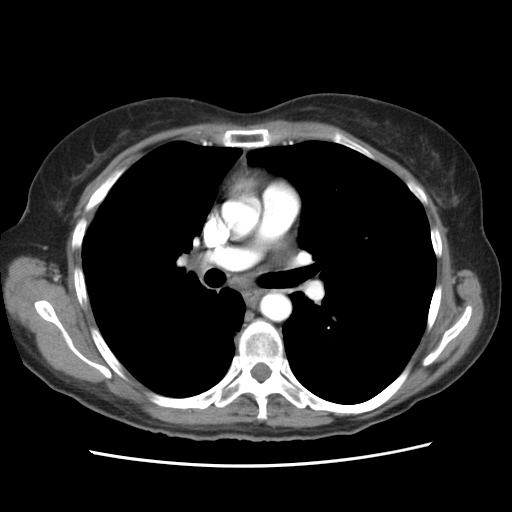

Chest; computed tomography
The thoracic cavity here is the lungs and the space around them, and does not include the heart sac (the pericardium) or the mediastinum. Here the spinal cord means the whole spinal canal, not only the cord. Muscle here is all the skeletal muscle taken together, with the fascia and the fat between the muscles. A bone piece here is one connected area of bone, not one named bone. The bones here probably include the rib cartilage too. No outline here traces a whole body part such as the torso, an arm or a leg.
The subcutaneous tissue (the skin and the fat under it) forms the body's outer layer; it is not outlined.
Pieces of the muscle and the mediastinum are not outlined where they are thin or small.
{"muscle":[{"outer":[[277,119],[288,121],[310,121],[311,120],[324,122],[337,126],[361,139],[398,162],[406,168],[421,183],[436,206],[437,212],[449,232],[456,266],[458,268],[469,269],[473,271],[477,275],[481,285],[481,296],[484,305],[484,314],[478,334],[469,347],[468,351],[449,370],[431,384],[403,401],[380,413],[364,419],[349,419],[345,417],[338,418],[335,421],[327,424],[299,428],[289,426],[272,426],[263,422],[260,423],[253,422],[227,423],[222,425],[201,426],[197,428],[182,427],[179,425],[175,425],[156,418],[153,418],[125,401],[120,400],[97,389],[94,389],[67,376],[55,373],[51,368],[48,367],[38,353],[32,340],[28,336],[26,331],[12,318],[11,314],[9,312],[5,293],[5,278],[7,275],[8,263],[17,256],[30,255],[37,257],[44,261],[48,261],[55,264],[57,266],[58,272],[64,279],[67,276],[66,244],[72,228],[71,224],[73,217],[72,214],[83,190],[119,153],[133,144],[155,133],[175,127],[220,121],[232,122],[243,126],[247,126],[267,120],[276,120]],"holes":[[[258,128],[338,131],[403,182],[414,181],[426,195],[423,208],[429,227],[436,227],[441,238],[441,255],[435,258],[440,304],[430,330],[424,329],[408,361],[412,364],[407,377],[374,409],[347,414],[299,408],[272,393],[267,397],[267,417],[260,420],[258,404],[249,392],[223,407],[160,406],[127,369],[127,380],[112,370],[108,378],[82,360],[59,328],[35,309],[35,301],[48,301],[74,346],[89,360],[108,367],[91,335],[90,328],[97,326],[90,304],[80,305],[74,285],[74,269],[82,266],[82,255],[72,248],[73,231],[81,217],[89,225],[96,208],[86,212],[84,208],[91,195],[116,170],[129,168],[160,145],[178,140],[200,143],[229,129]],[[468,305],[470,305],[472,309],[471,310],[471,315],[467,324],[454,338],[450,340],[447,343],[447,344],[444,347],[438,356],[431,363],[426,366],[424,366],[422,363],[423,359],[438,345],[444,332],[451,326],[452,326],[459,319],[463,313],[466,306]]]}],"mediastinum":[[[241,148],[253,149],[246,154],[250,166],[288,180],[296,189],[300,197],[301,201],[301,209],[300,210],[300,211],[300,221],[296,238],[297,245],[285,279],[292,311],[281,333],[261,318],[241,329],[242,296],[211,265],[200,248],[201,232],[201,246],[209,261],[213,265],[235,275],[277,268],[290,259],[296,228],[299,221],[300,209],[301,208],[301,202],[300,201],[300,198],[299,197],[296,190],[295,189],[285,179],[245,167],[231,173],[230,174],[224,180],[216,199],[223,178],[242,153]]],"bones":[{"outer":[[256,319],[281,334],[297,380],[334,403],[364,402],[409,363],[411,368],[388,400],[356,414],[299,408],[279,393],[267,397],[264,420],[257,418],[258,404],[249,392],[223,407],[160,406],[148,398],[148,391],[186,398],[218,383],[237,352],[238,333]],"hole":[[258,363],[263,363],[264,364],[265,364],[270,369],[270,374],[269,375],[269,376],[267,378],[266,378],[264,380],[263,380],[262,381],[259,381],[258,380],[257,380],[254,377],[253,377],[251,374],[251,370],[253,368],[253,367],[256,364],[257,364]]},[[258,128],[266,128],[271,132],[277,128],[297,129],[304,131],[338,131],[367,149],[375,157],[375,160],[343,144],[330,140],[311,137],[297,137],[289,141],[282,140],[276,144],[256,148],[218,145],[211,141],[214,134],[216,133],[224,132],[229,129]],[[42,299],[51,304],[74,346],[89,360],[106,367],[109,366],[92,338],[90,328],[96,327],[109,349],[124,367],[128,379],[123,379],[112,370],[111,377],[108,378],[98,369],[76,355],[66,343],[59,328],[54,323],[44,319],[36,311],[34,302]],[[468,305],[470,305],[472,309],[471,310],[471,315],[467,324],[454,338],[450,340],[447,343],[447,344],[444,347],[438,356],[431,363],[426,366],[424,366],[422,363],[423,359],[438,345],[444,332],[451,326],[452,326],[459,319],[463,313],[466,306]],[[123,167],[126,167],[126,169],[112,185],[112,186],[109,189],[106,195],[101,201],[101,202],[96,207],[94,207],[86,212],[84,211],[84,208],[86,204],[88,202],[91,195],[94,192],[94,191],[112,173],[113,173],[116,170],[118,170]],[[76,266],[79,266],[81,267],[83,272],[83,275],[84,276],[84,282],[85,283],[86,292],[88,297],[88,304],[86,305],[84,308],[83,308],[79,303],[79,301],[77,298],[76,291],[75,290],[75,286],[74,285],[74,269]],[[436,284],[440,284],[441,285],[441,299],[440,300],[439,308],[438,309],[436,317],[434,320],[434,322],[430,330],[429,331],[427,331],[426,330],[427,316],[428,315],[428,312],[429,311],[429,307],[430,306],[432,295],[433,294],[433,292],[434,291]],[[81,217],[84,217],[86,219],[87,221],[87,226],[85,230],[85,233],[83,236],[82,244],[81,245],[81,249],[78,249],[77,248],[73,249],[71,245],[72,237],[73,236],[73,231],[74,230],[74,228],[78,220]],[[407,179],[410,179],[414,181],[424,191],[426,195],[426,197],[427,198],[427,204],[426,205],[423,205],[423,204],[418,199],[418,198],[416,197],[416,196],[414,195],[414,194],[409,189],[409,188],[405,183],[405,181]],[[431,227],[436,227],[438,229],[439,231],[439,233],[440,234],[440,237],[441,238],[441,255],[440,257],[436,257],[435,255],[435,253],[434,252],[434,250],[433,249],[433,246],[432,245],[432,242],[431,241],[431,233],[430,232],[430,228]]],"spinal_cord":[[[258,363],[263,363],[264,364],[265,364],[270,369],[270,374],[269,375],[269,376],[267,378],[266,378],[264,380],[263,380],[262,381],[259,381],[258,380],[257,380],[254,377],[253,377],[251,374],[251,370],[253,368],[253,367],[256,364],[257,364]]],"thoracic_cavity":[[[307,139],[343,145],[377,162],[404,182],[423,206],[435,256],[435,285],[425,328],[414,351],[389,384],[357,403],[338,403],[318,396],[304,386],[291,369],[282,328],[293,311],[286,279],[298,245],[302,201],[288,179],[247,161],[247,154],[254,149]],[[178,140],[210,141],[218,146],[241,149],[222,178],[202,223],[199,248],[210,265],[241,296],[245,306],[243,321],[235,337],[236,352],[225,374],[208,389],[186,397],[152,391],[128,371],[110,349],[92,314],[81,254],[96,208],[122,174],[154,148]]],"pericardium":[[[245,168],[259,169],[272,179],[285,180],[295,190],[299,198],[300,208],[289,259],[283,265],[277,267],[268,268],[245,274],[235,274],[213,264],[210,261],[202,246],[201,235],[203,223],[213,208],[220,193],[223,183],[231,174],[233,175],[236,172]]]}